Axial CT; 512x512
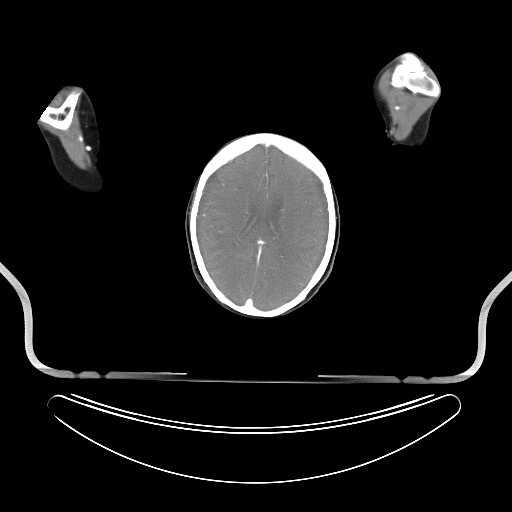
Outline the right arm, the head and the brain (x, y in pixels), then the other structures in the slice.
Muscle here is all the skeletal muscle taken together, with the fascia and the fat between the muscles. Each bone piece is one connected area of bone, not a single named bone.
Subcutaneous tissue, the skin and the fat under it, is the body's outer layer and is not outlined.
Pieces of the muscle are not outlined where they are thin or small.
{"right_arm":[[[66,84],[75,84],[85,88],[90,97],[96,114],[100,135],[100,149],[98,153],[100,163],[99,165],[105,177],[105,185],[103,189],[98,192],[90,193],[76,189],[67,184],[59,176],[53,165],[48,146],[36,124],[42,112],[50,103],[59,90]]],"head":[[[257,132],[281,134],[307,146],[319,158],[331,178],[337,194],[341,216],[339,245],[332,270],[327,280],[317,293],[296,311],[283,317],[264,320],[247,319],[234,315],[217,305],[205,293],[193,274],[184,231],[185,209],[190,191],[208,160],[228,140]]],"brain":[[[257,145],[263,145],[266,148],[273,146],[311,171],[321,183],[327,212],[327,231],[323,253],[309,279],[293,297],[267,309],[257,307],[250,297],[242,303],[237,303],[228,297],[218,287],[207,268],[197,235],[197,217],[200,202],[209,178],[219,168]]],"left_arm":[[[404,52],[411,52],[415,54],[427,64],[437,77],[441,89],[440,97],[431,114],[426,140],[423,146],[417,150],[410,149],[403,145],[391,145],[389,140],[386,137],[384,131],[384,121],[380,112],[374,103],[371,93],[371,85],[377,72],[395,56]]],"bones":[{"outer":[[257,132],[272,132],[293,138],[307,146],[319,158],[325,166],[330,178],[336,212],[334,245],[323,275],[303,300],[285,312],[270,317],[242,313],[218,300],[200,274],[194,257],[189,233],[189,215],[195,188],[206,163],[220,148],[230,141],[240,136]],"hole":[[257,145],[263,145],[266,148],[273,146],[311,171],[321,183],[327,212],[327,231],[323,253],[309,279],[293,297],[267,309],[257,307],[250,297],[242,303],[237,303],[228,297],[218,287],[207,268],[197,235],[197,217],[200,202],[209,178],[219,168]]},[[407,52],[411,52],[415,54],[423,62],[425,70],[427,73],[437,80],[440,86],[440,93],[438,96],[436,97],[435,96],[429,96],[418,92],[414,93],[405,87],[398,88],[391,85],[390,81],[393,70],[395,66],[400,62],[401,55]],[[74,88],[79,88],[81,89],[81,93],[79,95],[77,99],[77,101],[74,108],[71,124],[66,130],[58,129],[45,122],[43,122],[39,120],[40,115],[48,105],[50,105],[52,107],[54,107],[55,108],[59,107],[63,103],[68,94]]],"muscle":[[[399,60],[399,62],[394,66],[390,75],[390,85],[398,89],[405,88],[414,94],[418,93],[429,97],[435,97],[433,103],[420,117],[414,126],[410,136],[402,141],[394,140],[389,133],[390,117],[386,105],[380,98],[377,90],[377,85],[382,74]],[[81,94],[82,98],[81,99],[81,111],[82,112],[80,115],[80,120],[85,139],[91,146],[90,154],[92,160],[92,168],[90,170],[81,170],[77,168],[67,157],[59,140],[41,125],[41,122],[42,122],[58,130],[66,131],[72,124],[75,108]],[[68,89],[72,89],[67,94],[67,95],[65,97],[65,98],[64,99],[64,100],[62,102],[62,103],[59,106],[58,106],[57,107],[55,107],[54,106],[52,106],[51,105],[51,104],[52,103],[52,102],[63,91],[64,91],[65,90],[67,90]]]}